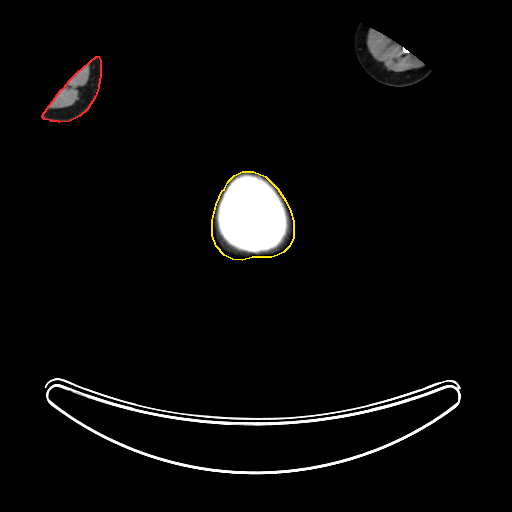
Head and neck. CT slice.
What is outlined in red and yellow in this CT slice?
red: right arm; yellow: head and neck.
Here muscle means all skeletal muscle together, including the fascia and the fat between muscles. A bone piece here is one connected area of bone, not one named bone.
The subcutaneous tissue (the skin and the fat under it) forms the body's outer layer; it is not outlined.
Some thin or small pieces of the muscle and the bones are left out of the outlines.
The right arm is outlined by [[96,56],[98,56],[100,61],[100,78],[99,79],[99,83],[98,84],[98,87],[95,96],[87,109],[79,116],[69,121],[59,122],[58,121],[51,121],[50,120],[44,119],[42,117],[42,115],[60,90],[64,87],[69,80],[77,72]]. The head and neck is outlined by [[242,171],[253,171],[265,176],[277,188],[285,200],[290,211],[293,221],[293,238],[288,247],[283,252],[277,255],[271,257],[252,257],[242,260],[232,259],[224,255],[216,246],[212,235],[212,220],[216,204],[222,190],[224,189],[228,181],[234,175]]. The left arm is outlined by [[359,23],[361,23],[370,28],[374,28],[378,30],[388,38],[403,46],[422,61],[431,70],[431,73],[427,77],[417,83],[402,87],[396,87],[395,86],[386,85],[373,79],[362,68],[356,57],[354,51],[354,47],[353,46],[354,33],[357,25]]. The muscle appears in 4 outlined pieces: piece 1: [[369,28],[374,28],[378,30],[388,38],[393,40],[398,44],[400,44],[401,50],[403,53],[407,54],[411,52],[412,54],[422,61],[424,63],[424,65],[418,68],[403,72],[395,72],[387,70],[380,62],[375,60],[372,57],[367,49],[366,38]]; piece 2: [[87,63],[90,64],[90,67],[89,68],[89,80],[88,81],[88,84],[85,88],[80,99],[76,101],[75,103],[71,106],[65,108],[59,108],[58,109],[57,108],[51,108],[48,109],[47,107],[52,102],[60,90],[61,90],[69,80]]; piece 3: [[216,230],[216,231],[219,234],[219,235],[221,237],[221,238],[230,247],[231,247],[240,252],[243,252],[236,252],[235,251],[233,251],[232,250],[230,250],[229,249],[228,249],[225,246],[224,246],[221,243],[221,242],[217,235],[217,233],[216,232]]; piece 4: [[290,219],[290,226],[291,227],[290,228],[290,233],[285,243],[284,243],[283,245],[282,245],[278,249],[276,250],[274,250],[273,251],[270,251],[274,249],[276,249],[284,241],[289,231],[289,228],[290,227]]. The bones are outlined by [[244,171],[261,174],[267,178],[277,188],[279,193],[283,197],[289,213],[289,227],[286,236],[283,241],[276,248],[274,248],[267,252],[248,253],[240,251],[230,246],[222,238],[216,229],[214,214],[216,204],[220,194],[228,181],[234,175],[239,172]].